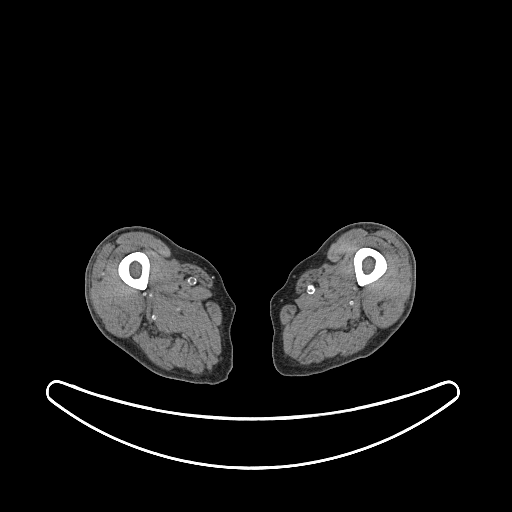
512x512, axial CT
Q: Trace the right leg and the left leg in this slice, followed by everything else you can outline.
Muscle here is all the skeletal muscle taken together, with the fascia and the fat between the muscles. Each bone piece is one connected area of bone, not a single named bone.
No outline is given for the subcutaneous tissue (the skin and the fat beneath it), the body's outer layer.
A: The right leg is outlined by (136, 225) (149, 227) (163, 233) (178, 245) (203, 256) (219, 272) (225, 288) (236, 306) (230, 329) (233, 345) (233, 367) (225, 381) (212, 385) (196, 384) (160, 376) (144, 367) (108, 340) (94, 323) (84, 294) (85, 269) (89, 258) (98, 243) (109, 233) (124, 226). The left leg is outlined by (354, 222) (377, 222) (389, 226) (400, 234) (410, 245) (416, 263) (416, 288) (411, 311) (397, 331) (371, 355) (318, 374) (309, 376) (284, 376) (276, 370) (272, 360) (271, 351) (273, 327) (269, 312) (270, 299) (284, 284) (290, 271) (296, 264) (315, 252) (336, 230). The muscle appears in 2 outlined pieces: piece 1: (132, 231) (152, 234) (170, 248) (185, 254) (210, 272) (223, 313) (221, 328) (223, 355) (212, 372) (200, 375) (189, 375) (180, 374) (157, 366) (150, 361) (129, 339) (119, 338) (110, 333) (95, 312) (90, 299) (90, 288) (91, 273) (96, 257) (106, 243) (123, 233), around a hole outlined by (135, 251) (142, 251) (145, 253) (148, 257) (149, 262) (150, 263) (150, 269) (149, 270) (149, 276) (148, 277) (147, 287) (144, 290) (140, 290) (139, 289) (131, 287) (129, 285) (126, 284) (121, 279) (118, 274) (118, 265) (120, 261) (123, 257) (127, 254); piece 2: (372, 227) (391, 232) (407, 250) (411, 265) (411, 289) (402, 314) (395, 323) (380, 331) (360, 352) (352, 356) (322, 367) (297, 365) (283, 351) (283, 326) (280, 321) (282, 306) (294, 297) (296, 282) (300, 275) (323, 263) (330, 245) (341, 234) (353, 228), around a hole outlined by (362, 247) (370, 247) (380, 252) (383, 255) (386, 260) (386, 262) (387, 263) (387, 268) (385, 272) (378, 279) (363, 286) (360, 286) (358, 285) (357, 283) (357, 280) (355, 276) (355, 271) (354, 270) (354, 265) (353, 264) (353, 258) (356, 251) (359, 248) (361, 248). The bones appear in 2 outlined pieces: piece 1: (362, 247) (370, 247) (380, 252) (383, 255) (386, 260) (386, 262) (387, 263) (387, 268) (385, 272) (378, 279) (363, 286) (360, 286) (358, 285) (357, 283) (357, 280) (355, 276) (355, 271) (354, 270) (354, 265) (353, 264) (353, 258) (356, 251) (359, 248) (361, 248); piece 2: (135, 251) (142, 251) (145, 253) (148, 257) (149, 262) (150, 263) (150, 269) (149, 270) (149, 276) (148, 277) (147, 287) (144, 290) (140, 290) (139, 289) (131, 287) (129, 285) (126, 284) (121, 279) (118, 274) (118, 265) (120, 261) (123, 257) (127, 254).